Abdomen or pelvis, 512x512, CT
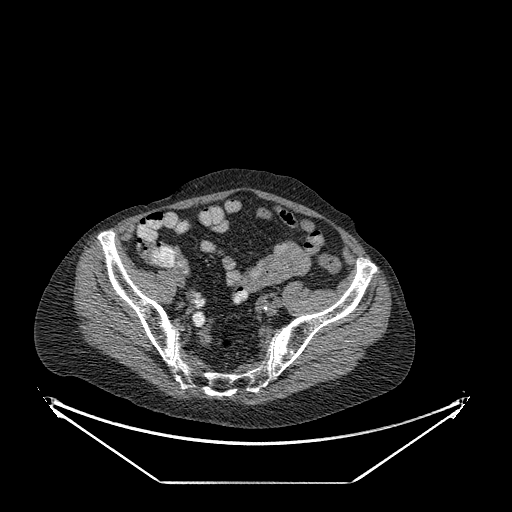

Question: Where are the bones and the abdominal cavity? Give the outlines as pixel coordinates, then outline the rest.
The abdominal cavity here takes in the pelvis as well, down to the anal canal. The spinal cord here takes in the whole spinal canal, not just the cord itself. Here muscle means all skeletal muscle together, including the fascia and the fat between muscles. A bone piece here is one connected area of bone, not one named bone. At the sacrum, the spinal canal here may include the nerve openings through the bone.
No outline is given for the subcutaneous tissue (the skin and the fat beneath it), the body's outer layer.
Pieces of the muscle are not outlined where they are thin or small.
Answer: The bones are outlined by (108, 229) (132, 281) (178, 329) (179, 355) (203, 371) (254, 369) (268, 358) (265, 349) (275, 330) (342, 295) (358, 257) (371, 260) (378, 272) (355, 309) (320, 328) (257, 393) (240, 387) (230, 396) (210, 396) (199, 383) (180, 388) (136, 312) (116, 293) (97, 239), around a hole outlined by (212, 386) (228, 386) (229, 387) (227, 389) (225, 389) (224, 390) (218, 390) (217, 389) (215, 389) (214, 388) (213, 388) (212, 387). The abdominal cavity is outlined by (238, 192) (327, 223) (339, 234) (341, 257) (349, 271) (334, 288) (310, 289) (301, 280) (288, 282) (281, 300) (295, 317) (274, 330) (264, 349) (227, 371) (213, 369) (184, 347) (163, 307) (174, 300) (174, 273) (138, 267) (124, 245) (141, 218) (151, 213) (186, 209). The muscle appears in 4 outlined pieces: piece 1: (100, 230) (96, 239) (112, 288) (135, 312) (183, 391) (199, 384) (210, 397) (230, 397) (240, 388) (257, 394) (293, 363) (320, 329) (356, 309) (378, 266) (391, 292) (387, 331) (347, 374) (282, 398) (254, 405) (175, 398) (83, 338) (73, 309) (75, 269) (87, 240); piece 2: (243, 186) (275, 194) (304, 205) (324, 215) (351, 234) (364, 248) (371, 259) (365, 256) (358, 256) (355, 259) (354, 275) (348, 286) (333, 303) (318, 311) (297, 316) (291, 315) (283, 303) (282, 292) (288, 283) (295, 281) (301, 281) (310, 290) (334, 289) (337, 286) (350, 271) (350, 267) (342, 257) (343, 241) (338, 231) (320, 218) (296, 211) (277, 201) (259, 197) (249, 191) (238, 191) (222, 199) (199, 203) (186, 208) (157, 210) (141, 217) (132, 230) (132, 236) (123, 245) (126, 248) (126, 253) (138, 268) (155, 273) (159, 270) (172, 272) (176, 279) (176, 288) (173, 300) (170, 303) (162, 305) (144, 293) (133, 281) (118, 252) (116, 246) (116, 233) (111, 228) (108, 228) (127, 217) (153, 208) (192, 197); piece 3: (180, 341) (182, 341) (183, 342) (183, 347) (184, 348) (186, 348) (198, 354) (208, 364) (212, 366) (212, 369) (211, 370) (203, 370) (202, 369) (197, 368) (196, 366) (194, 366) (192, 364) (190, 364) (187, 361) (186, 361) (184, 358) (180, 355) (179, 353) (179, 342); piece 4: (262, 350) (264, 350) (265, 351) (264, 356) (267, 358) (266, 359) (264, 358) (263, 359) (261, 359) (254, 368) (244, 369) (243, 370) (240, 370) (239, 371) (234, 371) (233, 370) (233, 368) (235, 366) (238, 366) (239, 365) (243, 364) (249, 359) (254, 357). The torso is outlined by (226, 168) (265, 170) (301, 181) (347, 214) (359, 233) (388, 261) (401, 286) (415, 329) (413, 361) (399, 385) (314, 420) (247, 429) (152, 411) (78, 377) (57, 375) (42, 364) (33, 342) (36, 309) (52, 273) (75, 242) (96, 223) (120, 210) (164, 197) (194, 178). The spinal cord is outlined by (212, 386) (228, 386) (229, 387) (227, 389) (225, 389) (224, 390) (218, 390) (217, 389) (215, 389) (214, 388) (213, 388) (212, 387).